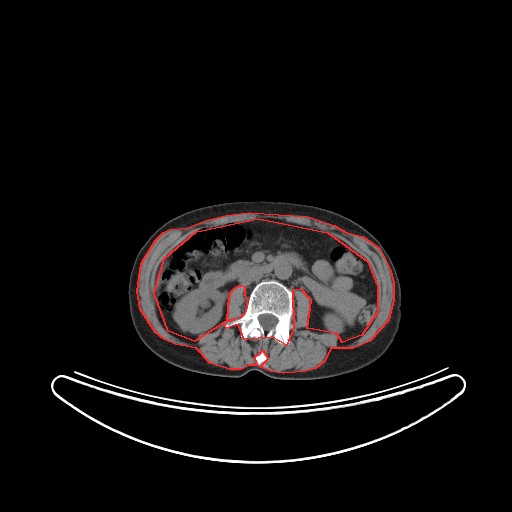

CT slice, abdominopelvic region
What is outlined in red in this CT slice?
red: muscle.
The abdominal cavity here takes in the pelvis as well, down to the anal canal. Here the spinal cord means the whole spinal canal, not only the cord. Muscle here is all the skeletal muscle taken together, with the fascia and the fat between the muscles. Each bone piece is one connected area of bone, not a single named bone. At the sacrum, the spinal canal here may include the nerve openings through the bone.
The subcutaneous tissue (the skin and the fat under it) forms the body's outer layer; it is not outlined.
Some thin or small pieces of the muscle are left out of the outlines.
{"muscle":[{"outer":[[249,212],[307,216],[334,225],[346,232],[362,236],[379,248],[390,270],[393,283],[393,299],[388,320],[369,341],[353,348],[330,348],[324,361],[315,368],[305,371],[283,373],[270,371],[260,366],[268,358],[263,350],[254,357],[256,365],[248,365],[241,369],[229,369],[210,363],[196,348],[175,344],[164,339],[155,332],[140,309],[137,291],[141,263],[155,240],[163,232],[169,229],[188,227],[205,220],[225,215]],"hole":[[258,218],[327,232],[367,261],[377,286],[377,312],[361,335],[342,342],[336,333],[307,328],[311,300],[301,289],[292,290],[293,328],[286,345],[272,337],[244,339],[238,324],[226,328],[224,322],[194,341],[168,331],[154,293],[164,258],[196,231]]},[[239,285],[242,285],[244,286],[244,295],[245,297],[247,298],[245,310],[243,314],[240,317],[233,319],[232,320],[230,320],[229,321],[226,321],[227,319],[226,318],[227,317],[227,314],[228,313],[228,302],[229,301],[230,292],[234,288]]],"spinal_cord":[[[263,314],[269,314],[270,315],[272,315],[273,316],[274,316],[277,319],[277,322],[276,323],[276,324],[272,328],[271,328],[268,330],[265,330],[264,329],[264,328],[261,325],[261,324],[260,323],[260,322],[258,319],[258,317],[260,315],[262,315]]],"abdominal_cavity":[[[258,218],[327,232],[367,261],[377,286],[377,312],[361,335],[342,342],[336,333],[307,328],[310,297],[276,279],[259,281],[247,297],[244,285],[234,287],[229,292],[225,321],[194,341],[168,331],[158,315],[154,293],[156,272],[164,258],[196,231]]],"torso":[[[242,200],[287,201],[329,209],[360,224],[379,240],[397,271],[402,299],[399,329],[381,357],[361,369],[320,379],[276,379],[256,370],[240,377],[223,377],[172,365],[144,345],[133,327],[127,295],[129,274],[139,249],[156,229],[177,215],[207,205]]],"bones":[{"outer":[[263,280],[276,280],[286,286],[293,294],[294,306],[290,319],[293,328],[289,333],[290,341],[286,345],[277,342],[272,337],[260,339],[248,337],[244,339],[240,335],[238,324],[228,328],[225,327],[226,322],[238,319],[244,314],[250,292],[256,284]],"hole":[[263,314],[269,314],[270,315],[272,315],[273,316],[274,316],[277,319],[277,322],[276,323],[276,324],[272,328],[271,328],[268,330],[265,330],[264,329],[264,328],[261,325],[261,324],[260,323],[260,322],[258,319],[258,317],[260,315],[262,315]]},[[261,351],[263,351],[264,352],[264,353],[266,355],[266,356],[267,357],[267,358],[266,359],[266,360],[265,361],[264,361],[260,365],[257,365],[257,364],[256,363],[256,360],[255,359],[255,357]]]}